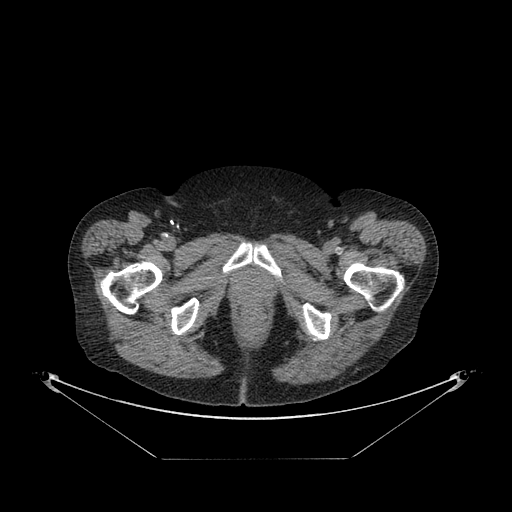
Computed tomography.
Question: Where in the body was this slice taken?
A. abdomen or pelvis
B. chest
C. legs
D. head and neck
Answer: A. abdomen or pelvis
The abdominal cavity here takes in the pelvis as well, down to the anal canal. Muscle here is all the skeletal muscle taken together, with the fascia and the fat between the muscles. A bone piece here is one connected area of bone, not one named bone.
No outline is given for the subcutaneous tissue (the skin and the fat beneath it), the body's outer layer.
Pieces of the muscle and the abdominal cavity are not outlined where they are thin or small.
{"torso":[[[234,164],[291,170],[330,194],[351,187],[378,190],[410,202],[428,219],[439,252],[436,282],[414,338],[379,372],[306,403],[210,406],[159,395],[97,367],[86,357],[75,335],[67,273],[68,248],[81,217],[124,191],[152,186],[170,193],[195,173]]],"abdominal_cavity":[[[250,264],[257,265],[262,268],[261,269],[269,276],[273,282],[275,288],[269,325],[267,326],[267,329],[261,339],[255,343],[245,343],[240,339],[236,331],[236,326],[233,317],[234,316],[230,311],[230,298],[227,286],[230,281],[230,278],[236,270]]],"muscle":[{"outer":[[130,210],[151,218],[152,242],[168,255],[197,237],[227,232],[255,239],[294,234],[337,256],[344,249],[351,221],[368,210],[389,211],[411,221],[424,237],[426,255],[387,332],[369,353],[334,378],[296,385],[273,379],[271,369],[291,354],[297,342],[281,298],[266,341],[249,351],[238,345],[228,308],[221,302],[208,321],[204,343],[225,369],[210,378],[177,378],[141,368],[113,350],[82,257],[82,239],[96,219]],"holes":[[[244,240],[266,245],[281,269],[283,280],[279,281],[267,270],[264,271],[273,282],[275,291],[269,325],[261,339],[255,343],[245,343],[240,339],[236,331],[234,316],[230,311],[230,298],[227,285],[236,270],[227,274],[222,272],[224,263]],[[141,261],[150,261],[155,264],[162,272],[162,280],[155,288],[145,293],[139,299],[139,307],[136,313],[134,314],[126,314],[118,310],[109,301],[109,300],[102,294],[101,288],[100,287],[100,281],[110,270],[118,271],[131,263],[134,262],[140,262]],[[354,262],[360,262],[368,266],[382,266],[390,268],[394,270],[397,270],[403,276],[404,278],[404,287],[403,289],[398,294],[391,305],[384,311],[382,312],[373,311],[369,306],[365,298],[360,293],[356,292],[348,287],[344,282],[343,274],[346,269]],[[305,302],[309,302],[316,308],[319,309],[321,311],[328,311],[331,313],[331,321],[330,322],[330,334],[328,338],[323,340],[313,341],[310,338],[310,337],[305,333],[304,331],[305,325],[304,324],[304,319],[302,315],[302,309],[301,308],[301,305]],[[191,297],[195,297],[197,298],[200,303],[194,325],[191,328],[191,329],[186,333],[182,334],[181,335],[177,335],[173,333],[171,330],[171,327],[170,326],[170,322],[171,321],[171,313],[170,312],[170,310],[173,306],[180,305]]]}],"bones":[[[141,261],[150,261],[155,264],[162,272],[162,280],[155,288],[145,293],[139,299],[139,307],[136,313],[134,314],[126,314],[118,310],[109,301],[109,300],[102,294],[101,288],[100,287],[100,281],[110,270],[118,271],[131,263],[134,262],[140,262]],[[354,262],[360,262],[368,266],[382,266],[390,268],[394,270],[397,270],[403,276],[404,278],[404,287],[403,289],[398,294],[391,305],[384,311],[382,312],[373,311],[369,306],[365,298],[360,293],[356,292],[348,287],[344,282],[343,274],[346,269]],[[244,240],[245,241],[250,241],[253,243],[259,242],[266,245],[269,252],[281,269],[283,281],[277,280],[276,278],[267,270],[252,262],[249,264],[244,265],[237,269],[235,269],[227,274],[224,274],[222,272],[222,266],[224,263],[235,251],[239,244]],[[305,302],[309,302],[316,308],[319,309],[321,311],[328,311],[331,313],[331,321],[330,322],[330,334],[328,338],[323,340],[313,341],[310,338],[310,337],[305,333],[304,331],[305,325],[304,324],[304,319],[302,315],[302,309],[301,308],[301,305]],[[191,297],[195,297],[197,298],[200,303],[194,325],[191,328],[191,329],[186,333],[182,334],[181,335],[177,335],[173,333],[171,330],[171,327],[170,326],[170,322],[171,321],[171,313],[170,312],[170,310],[173,306],[180,305]]]}